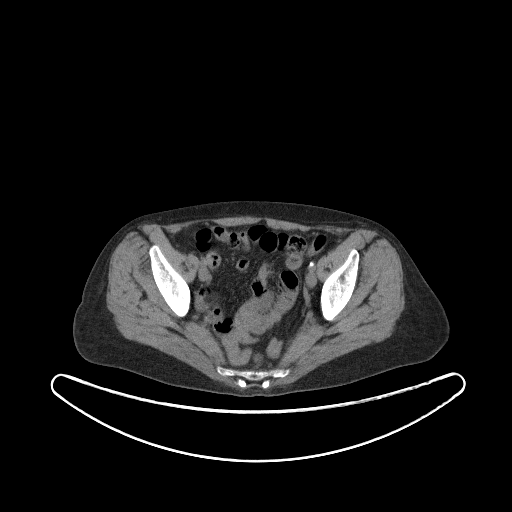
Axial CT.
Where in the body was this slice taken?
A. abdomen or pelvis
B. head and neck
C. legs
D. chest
Answer: A. abdomen or pelvis
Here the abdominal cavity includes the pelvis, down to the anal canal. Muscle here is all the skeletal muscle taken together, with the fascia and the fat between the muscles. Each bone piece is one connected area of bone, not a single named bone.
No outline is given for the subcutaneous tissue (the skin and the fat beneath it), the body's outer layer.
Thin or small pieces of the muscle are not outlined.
The torso is outlined by 229 200; 311 204; 363 216; 385 226; 404 246; 443 305; 450 324; 448 341; 432 358; 424 362; 398 367; 341 386; 273 397; 237 397; 182 388; 127 370; 85 360; 77 352; 73 342; 73 318; 90 270; 108 240; 124 224; 144 214. The abdominal cavity is outlined by 260 221; 274 229; 331 232; 338 237; 338 244; 320 257; 315 266; 322 284; 319 317; 297 330; 272 368; 240 369; 227 363; 224 351; 209 328; 190 312; 190 285; 198 260; 191 253; 176 249; 166 233; 174 234; 197 223; 237 226. The bones appear in 3 outlined pieces: piece 1: 353 248; 356 249; 359 252; 360 255; 359 262; 358 263; 357 278; 354 289; 349 300; 345 306; 332 320; 330 321; 326 320; 322 315; 321 308; 320 307; 320 295; 321 294; 322 285; 329 274; 339 267; 345 261; 350 250; piece 2: 153 244; 157 245; 160 248; 163 255; 166 258; 168 262; 172 267; 183 277; 189 286; 189 289; 190 290; 190 306; 188 312; 182 317; 178 316; 170 308; 160 293; 155 283; 152 274; 152 271; 151 270; 150 257; 148 252; 150 246; piece 3: 217 366; 240 370; 270 370; 273 368; 288 368; 289 373; 284 377; 270 377; 270 384; 267 388; 262 388; 260 381; 248 381; 246 383; 246 387; 243 388; 236 383; 237 378; 235 376; 221 375; 218 373; 216 369. The muscle is outlined by 242 215; 377 231; 395 248; 403 271; 405 303; 392 334; 330 360; 291 383; 265 389; 271 384; 270 378; 284 378; 290 373; 288 367; 274 366; 298 330; 321 314; 330 322; 346 306; 357 283; 361 255; 351 248; 322 283; 317 263; 339 244; 339 237; 324 229; 274 228; 260 220; 237 225; 197 222; 174 233; 166 232; 176 250; 197 260; 189 285; 157 244; 151 244; 147 252; 154 283; 166 304; 178 317; 189 311; 197 322; 203 323; 218 342; 226 363; 233 367; 217 365; 216 372; 235 377; 235 383; 239 387; 243 389; 247 387; 248 382; 260 382; 261 388; 240 390; 231 387; 173 356; 125 338; 106 306; 106 291; 111 254; 126 234; 144 223.